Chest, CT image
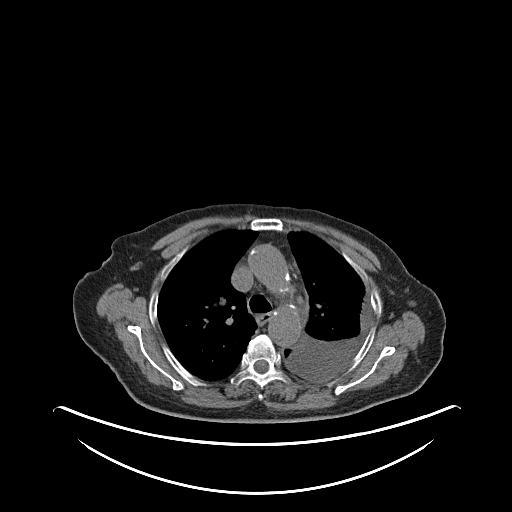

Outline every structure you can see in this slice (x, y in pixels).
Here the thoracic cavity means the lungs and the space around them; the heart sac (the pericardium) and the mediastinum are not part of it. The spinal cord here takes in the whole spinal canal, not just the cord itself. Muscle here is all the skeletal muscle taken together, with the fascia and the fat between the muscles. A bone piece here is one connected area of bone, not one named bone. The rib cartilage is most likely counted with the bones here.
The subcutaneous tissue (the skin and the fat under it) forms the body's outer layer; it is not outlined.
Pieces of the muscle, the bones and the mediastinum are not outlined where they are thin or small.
{"mediastinum":[[[287,229],[287,239],[290,249],[300,271],[308,295],[308,317],[303,331],[297,340],[281,351],[278,351],[267,334],[259,333],[254,335],[257,327],[256,321],[248,312],[245,294],[235,289],[231,284],[231,275],[236,263],[259,232],[282,232]]],"spinal_cord":[[[260,360],[263,360],[264,361],[265,361],[267,363],[267,364],[268,365],[268,366],[267,367],[267,369],[264,372],[263,372],[262,373],[261,373],[260,372],[258,372],[255,369],[255,368],[254,367],[254,364],[257,361],[259,361]]],"bones":[{"outer":[[259,334],[267,335],[276,350],[280,353],[282,367],[285,370],[289,381],[283,382],[281,380],[274,379],[267,383],[261,390],[259,386],[251,379],[245,379],[237,386],[231,384],[229,381],[229,377],[238,369],[242,356],[247,349],[249,341],[254,336]],"hole":[[260,360],[263,360],[264,361],[265,361],[267,363],[267,364],[268,365],[268,366],[267,367],[267,369],[264,372],[263,372],[262,373],[261,373],[260,372],[258,372],[255,369],[255,368],[254,367],[254,364],[257,361],[259,361]]},[[164,343],[167,345],[176,359],[191,374],[204,381],[206,381],[209,384],[206,386],[200,386],[199,385],[197,385],[196,386],[189,383],[186,380],[185,380],[176,371],[176,370],[171,365],[171,364],[166,358],[164,354],[164,352],[162,349],[162,344]],[[128,325],[137,325],[140,327],[142,343],[147,354],[163,370],[167,372],[175,379],[179,380],[184,386],[183,389],[181,390],[174,390],[172,389],[172,382],[171,380],[155,368],[145,357],[140,349],[139,340],[137,336],[135,334],[130,332],[127,329]],[[257,217],[278,217],[282,221],[282,222],[283,223],[283,225],[284,226],[284,230],[283,230],[282,231],[278,231],[277,230],[261,230],[260,231],[256,231],[255,230],[252,230],[251,229],[250,229],[247,227],[249,225],[250,222],[253,219],[254,219]],[[385,346],[393,346],[395,348],[395,350],[392,354],[384,356],[378,362],[373,372],[359,383],[357,383],[347,388],[340,394],[336,395],[334,393],[334,389],[337,385],[344,385],[349,382],[354,381],[360,378],[369,371],[374,362],[379,356],[380,352]],[[372,326],[375,326],[375,334],[374,335],[373,341],[369,349],[359,362],[359,363],[351,371],[347,372],[346,373],[346,370],[348,366],[350,365],[350,364],[352,362],[353,358],[360,349],[361,346],[363,344],[365,340],[365,338],[370,328]],[[154,290],[158,290],[159,291],[159,293],[158,294],[158,299],[157,300],[157,320],[158,321],[159,326],[156,326],[155,327],[153,327],[150,321],[150,318],[149,317],[149,312],[148,311],[148,304],[149,303],[149,298],[150,297],[150,294],[151,292]],[[186,246],[187,246],[189,248],[181,257],[181,258],[177,262],[177,263],[172,268],[172,269],[168,274],[165,280],[162,283],[161,283],[160,281],[160,277],[161,276],[161,271],[163,267],[178,252],[179,252],[184,247]],[[373,288],[376,288],[379,292],[379,294],[381,298],[381,301],[382,302],[382,309],[381,310],[381,313],[380,314],[380,316],[378,319],[377,319],[376,316],[373,313],[373,311],[371,307],[371,304],[370,303],[370,293],[371,292],[371,290]],[[342,251],[344,251],[355,262],[356,262],[362,268],[362,269],[366,273],[366,274],[367,275],[367,284],[365,286],[364,283],[362,281],[362,280],[359,276],[359,275],[354,270],[354,269],[349,264],[349,263],[343,257],[343,256],[341,254],[341,252]]],"muscle":[{"outer":[[248,212],[261,216],[247,226],[219,229],[191,247],[184,246],[162,267],[160,289],[149,294],[149,321],[153,328],[160,328],[166,342],[161,344],[163,354],[185,381],[206,387],[208,382],[228,377],[237,387],[251,380],[261,391],[274,380],[289,382],[287,372],[308,382],[327,382],[330,387],[337,381],[333,379],[336,376],[346,368],[346,374],[351,372],[366,355],[376,334],[373,314],[378,320],[383,309],[384,323],[392,323],[405,311],[414,312],[422,320],[425,336],[413,361],[396,376],[353,399],[316,409],[277,410],[260,401],[228,408],[203,407],[175,398],[149,382],[97,314],[98,298],[116,283],[147,298],[164,262],[159,251],[150,249],[158,239],[194,219]],"holes":[[[128,325],[137,325],[140,327],[142,343],[147,354],[163,370],[167,372],[175,379],[179,380],[184,386],[183,389],[181,390],[174,390],[172,389],[172,382],[171,380],[155,368],[145,357],[140,349],[139,340],[137,336],[135,334],[130,332],[127,329]],[[385,346],[393,346],[395,348],[395,350],[392,354],[384,356],[378,362],[373,372],[359,383],[357,383],[347,388],[340,394],[336,395],[334,393],[334,389],[337,385],[344,385],[349,382],[354,381],[360,378],[369,371],[374,362],[379,356],[380,352]]]},[[281,216],[304,219],[331,226],[369,248],[377,256],[381,265],[381,269],[373,276],[380,288],[380,294],[378,289],[373,287],[369,295],[369,291],[366,288],[368,284],[367,273],[344,250],[339,252],[312,232],[297,227],[285,229],[284,223],[279,217]]],"thoracic_cavity":[[[239,226],[245,226],[258,233],[235,263],[230,275],[230,284],[235,290],[244,294],[247,312],[254,319],[256,327],[241,356],[237,369],[225,378],[207,381],[191,373],[177,359],[168,346],[158,320],[159,294],[163,283],[173,268],[190,248],[216,231]],[[291,228],[297,228],[299,230],[316,235],[340,253],[358,275],[368,291],[369,303],[372,311],[372,325],[349,365],[329,381],[308,381],[286,371],[283,367],[280,352],[285,348],[291,346],[298,340],[304,331],[309,317],[309,295],[288,239],[288,231]]],"torso":[[[236,202],[317,209],[367,229],[391,247],[407,270],[436,293],[446,318],[442,357],[419,389],[350,415],[290,423],[225,423],[176,417],[148,409],[129,396],[76,329],[72,298],[78,280],[100,266],[110,255],[113,240],[120,235],[140,230],[186,209]]]}